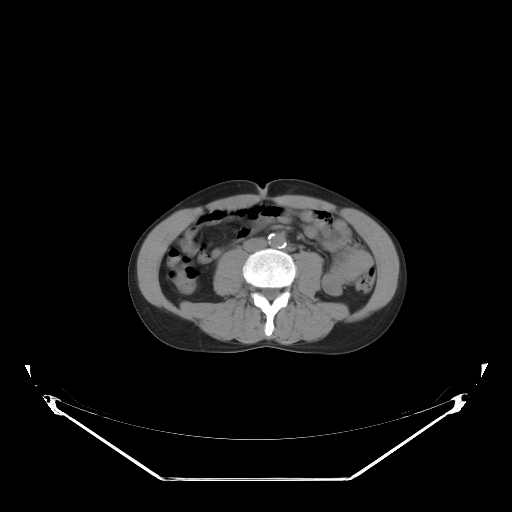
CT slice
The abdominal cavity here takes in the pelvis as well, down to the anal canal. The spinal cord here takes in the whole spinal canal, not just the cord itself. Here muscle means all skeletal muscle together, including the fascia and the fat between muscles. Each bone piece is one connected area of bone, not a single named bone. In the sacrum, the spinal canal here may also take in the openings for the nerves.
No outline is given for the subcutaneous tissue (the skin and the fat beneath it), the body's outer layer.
The muscle is outlined by [[247,193],[266,194],[268,196],[284,194],[306,195],[328,201],[339,207],[354,208],[369,216],[388,234],[399,259],[398,283],[391,300],[385,306],[362,320],[349,323],[340,321],[336,323],[331,331],[318,341],[298,341],[288,345],[281,344],[272,339],[263,339],[250,344],[241,343],[234,339],[221,341],[205,333],[193,322],[151,304],[145,299],[139,289],[136,269],[140,248],[151,230],[177,210],[204,205],[236,194]] with a hole at [[265,200],[331,211],[352,226],[376,270],[361,307],[351,311],[316,296],[324,259],[311,250],[292,255],[290,296],[268,336],[266,316],[242,273],[248,254],[241,247],[216,262],[212,289],[222,299],[176,304],[164,294],[162,259],[188,224],[208,210]]. The bones are outlined by [[265,248],[278,249],[289,254],[292,257],[296,266],[296,274],[289,287],[290,296],[287,305],[280,308],[274,315],[274,328],[272,333],[268,336],[264,332],[266,316],[253,303],[251,293],[254,288],[246,282],[242,273],[242,267],[248,255],[257,250]] with a hole at [[263,288],[277,288],[278,289],[279,289],[280,290],[280,292],[279,293],[279,294],[275,298],[274,298],[272,300],[269,300],[266,297],[265,297],[263,295],[262,295],[261,294],[261,293],[260,292],[260,289],[262,289]]. The abdominal cavity is outlined by [[265,200],[331,211],[352,226],[376,270],[373,291],[361,307],[351,311],[344,302],[316,296],[324,265],[319,253],[300,250],[292,256],[273,247],[249,254],[241,247],[225,251],[212,276],[218,301],[176,304],[164,294],[162,259],[188,224],[208,210]]. The torso is outlined by [[284,177],[312,181],[347,196],[377,216],[394,233],[404,253],[407,285],[402,305],[390,327],[367,346],[335,355],[269,347],[235,353],[191,352],[176,349],[156,338],[138,316],[127,285],[129,257],[143,231],[180,200],[209,185],[248,179],[262,186]]. The spinal cord is outlined by [[263,288],[277,288],[278,289],[279,289],[280,290],[280,292],[279,293],[279,294],[275,298],[274,298],[272,300],[269,300],[266,297],[265,297],[263,295],[262,295],[261,294],[261,293],[260,292],[260,289],[262,289]].